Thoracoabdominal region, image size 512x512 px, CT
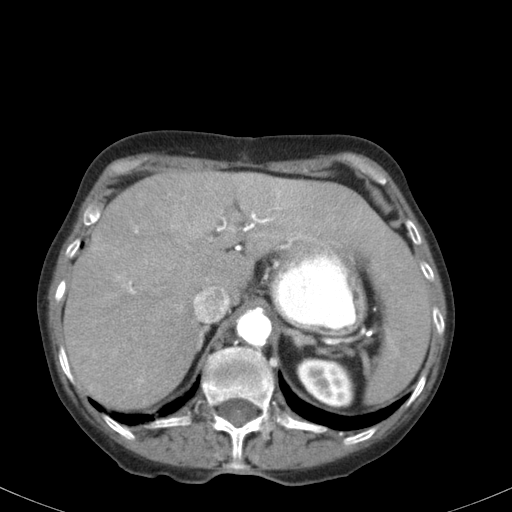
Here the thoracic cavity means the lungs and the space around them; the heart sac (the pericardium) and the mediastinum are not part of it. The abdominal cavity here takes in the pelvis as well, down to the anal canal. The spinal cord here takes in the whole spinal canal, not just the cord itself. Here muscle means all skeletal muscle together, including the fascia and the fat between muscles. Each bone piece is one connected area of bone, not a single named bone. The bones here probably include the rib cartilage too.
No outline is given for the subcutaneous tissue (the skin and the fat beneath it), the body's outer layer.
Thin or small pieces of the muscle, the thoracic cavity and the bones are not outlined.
{"mediastinum":[[[255,308],[262,309],[263,315],[268,318],[271,325],[273,355],[278,369],[276,377],[272,367],[274,366],[270,360],[268,360],[260,351],[237,344],[226,346],[210,353],[207,356],[202,370],[205,359],[217,338],[234,320],[243,315],[246,311],[253,310]]],"thoracic_cavity":[[[278,373],[280,373],[283,380],[291,391],[300,399],[317,408],[342,416],[360,416],[369,414],[384,408],[410,394],[397,409],[377,423],[363,429],[337,431],[330,429],[325,425],[304,419],[292,411],[282,397],[277,392],[276,393],[275,391],[274,392]],[[200,371],[203,371],[199,383],[200,389],[183,409],[175,415],[155,418],[152,421],[143,425],[127,425],[121,423],[107,413],[96,409],[88,400],[88,398],[90,398],[99,404],[105,412],[112,414],[153,415],[166,404],[180,397],[183,397],[194,384]]],"torso":[[[156,129],[254,137],[344,133],[375,142],[398,163],[440,247],[453,291],[455,329],[433,399],[389,451],[347,476],[304,485],[231,473],[205,483],[182,483],[123,470],[65,408],[50,377],[38,325],[36,292],[42,264],[95,156],[120,138]]],"abdominal_cavity":[[[335,164],[354,167],[383,186],[428,282],[431,345],[410,393],[360,415],[305,401],[279,372],[271,322],[255,307],[216,338],[189,390],[157,412],[112,413],[86,396],[62,344],[62,302],[73,258],[118,176],[138,166],[247,167],[296,174],[321,173]]],"bones":[{"outer":[[233,345],[260,352],[269,360],[275,376],[271,399],[281,410],[295,419],[325,426],[327,430],[316,433],[286,428],[274,422],[267,439],[259,431],[248,433],[242,442],[245,466],[229,467],[231,437],[222,430],[206,426],[211,410],[200,383],[208,356]],"hole":[[234,398],[238,398],[239,399],[247,400],[251,403],[252,403],[257,408],[259,412],[258,413],[258,415],[256,417],[247,421],[241,426],[235,426],[228,420],[222,417],[218,413],[218,406],[222,402],[226,400],[228,400],[229,399],[233,399]]},[[344,154],[353,154],[361,158],[365,162],[368,163],[371,166],[372,166],[379,172],[380,172],[386,178],[387,180],[386,183],[384,185],[381,185],[379,183],[376,182],[367,174],[362,172],[359,169],[354,166],[351,162],[350,162],[345,157],[344,157]],[[188,411],[191,412],[191,416],[192,417],[191,423],[188,425],[177,425],[176,426],[169,426],[168,427],[161,427],[160,428],[149,428],[146,427],[144,425],[148,424],[150,422],[152,422],[155,419],[162,419],[172,416],[181,416],[182,415],[185,415]],[[103,413],[107,414],[117,422],[121,424],[123,424],[124,425],[128,426],[129,429],[134,435],[135,438],[134,439],[127,439],[125,437],[124,437],[122,435],[121,435],[119,433],[115,431],[112,428],[111,428],[104,420],[102,416],[102,414]],[[134,159],[143,159],[143,161],[139,165],[136,166],[128,172],[126,173],[122,173],[121,174],[116,174],[115,173],[111,173],[109,174],[108,173],[112,165],[118,162],[121,162],[122,161],[125,161],[126,160],[133,160]],[[374,425],[376,425],[377,428],[375,432],[369,438],[363,441],[361,441],[360,442],[358,442],[354,444],[350,444],[349,445],[345,445],[343,443],[343,439],[345,437],[347,436],[349,436],[350,435],[352,435],[353,434],[355,434],[356,433],[358,433]],[[94,199],[96,199],[96,201],[97,202],[97,204],[99,206],[99,208],[100,209],[100,213],[99,214],[99,217],[94,223],[93,223],[88,226],[86,226],[83,223],[83,214],[84,213],[84,211],[86,209],[86,208],[88,206],[88,205]],[[60,345],[62,345],[64,348],[65,355],[67,358],[67,361],[69,365],[70,371],[75,381],[75,384],[71,383],[71,382],[69,380],[69,379],[67,377],[67,376],[65,374],[61,367],[61,365],[60,364],[60,362],[58,358],[58,349]],[[423,372],[425,372],[425,373],[426,374],[426,380],[425,381],[424,386],[423,387],[421,392],[415,398],[415,399],[409,405],[409,406],[406,407],[405,406],[404,403],[410,396],[410,395],[413,391],[413,390],[414,389],[414,388],[415,387],[420,376]],[[406,219],[409,219],[410,220],[411,220],[413,222],[413,223],[417,228],[417,229],[418,230],[418,232],[421,237],[421,243],[420,244],[415,244],[414,243],[413,243],[412,240],[408,235],[408,232],[407,231],[406,226],[404,223],[404,221]]],"muscle":[[[151,151],[254,163],[351,151],[377,162],[390,175],[425,233],[447,311],[446,342],[436,379],[407,421],[382,440],[323,465],[303,470],[244,468],[245,437],[259,432],[267,440],[274,423],[316,434],[328,429],[362,430],[345,436],[345,446],[369,439],[376,424],[403,404],[409,407],[422,392],[434,327],[440,336],[445,331],[444,317],[433,305],[428,283],[435,279],[434,272],[414,248],[422,243],[418,228],[411,219],[402,219],[384,187],[387,178],[353,153],[343,154],[353,166],[335,163],[321,172],[287,173],[247,166],[181,169],[140,165],[143,158],[112,164],[107,173],[119,175],[107,186],[100,206],[96,198],[87,205],[82,223],[90,227],[64,252],[71,265],[66,281],[61,279],[54,292],[54,300],[62,300],[57,349],[60,367],[102,413],[105,423],[127,440],[136,438],[129,426],[190,425],[190,410],[176,414],[201,390],[210,410],[205,426],[230,437],[227,466],[231,468],[183,468],[146,459],[112,441],[82,415],[64,390],[54,362],[47,323],[49,286],[81,204],[104,168],[115,159]],[[275,392],[276,394],[277,393],[277,394],[281,397],[281,398],[288,407],[288,408],[292,412],[293,412],[302,419],[300,419],[299,418],[295,418],[285,410],[281,409],[279,407],[277,402],[275,400],[272,399],[273,394]]],"spinal_cord":[[[234,398],[238,398],[239,399],[247,400],[251,403],[252,403],[257,408],[259,412],[258,413],[258,415],[256,417],[247,421],[241,426],[235,426],[228,420],[222,417],[218,413],[218,406],[222,402],[226,400],[228,400],[229,399],[233,399]]]}